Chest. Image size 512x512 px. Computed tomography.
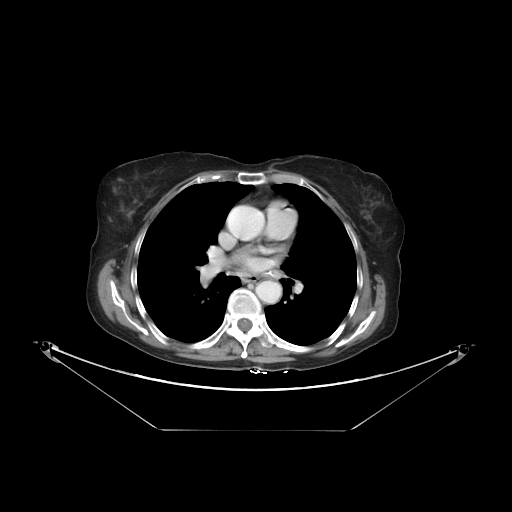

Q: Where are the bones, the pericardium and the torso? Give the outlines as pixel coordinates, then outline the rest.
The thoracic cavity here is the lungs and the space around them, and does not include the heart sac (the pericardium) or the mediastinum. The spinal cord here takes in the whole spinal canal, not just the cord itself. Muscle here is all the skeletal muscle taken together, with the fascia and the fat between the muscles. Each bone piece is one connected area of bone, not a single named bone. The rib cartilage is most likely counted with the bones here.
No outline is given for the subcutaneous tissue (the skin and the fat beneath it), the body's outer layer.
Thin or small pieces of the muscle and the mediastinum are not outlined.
A: {"bones":[{"outer":[[239,287],[255,295],[267,324],[275,334],[288,342],[312,346],[313,349],[301,353],[274,344],[265,347],[256,337],[253,337],[246,347],[247,356],[242,358],[242,345],[226,333],[209,347],[190,349],[188,344],[206,338],[219,327],[224,318],[229,295]],"hole":[[242,318],[245,318],[246,319],[247,319],[248,320],[249,320],[251,322],[251,326],[250,327],[250,328],[248,330],[247,330],[246,331],[243,331],[241,329],[240,329],[239,328],[239,327],[238,326],[238,321],[240,319],[241,319]]},[[240,171],[245,171],[246,172],[259,172],[261,171],[266,175],[270,175],[274,173],[283,173],[284,174],[289,174],[302,177],[324,197],[325,202],[309,188],[291,182],[275,183],[270,181],[255,185],[252,184],[242,184],[235,180],[235,177],[237,173]],[[110,280],[114,282],[119,295],[124,301],[127,314],[140,326],[146,329],[148,326],[136,305],[135,296],[137,294],[139,295],[147,313],[146,319],[152,321],[170,338],[168,345],[160,342],[150,332],[147,335],[144,334],[126,318],[122,309],[112,299]],[[373,310],[375,311],[375,314],[372,320],[368,326],[361,333],[358,334],[350,341],[338,347],[335,347],[334,343],[326,345],[325,339],[338,327],[342,321],[345,322],[345,327],[335,341],[337,342],[339,340],[343,338],[346,338],[352,334],[358,325]],[[208,174],[224,174],[226,176],[229,177],[230,180],[220,179],[214,181],[208,181],[207,182],[202,182],[201,183],[194,183],[187,186],[174,195],[176,191],[186,183],[193,180],[198,176],[202,176]],[[343,222],[347,222],[350,225],[350,226],[354,233],[354,235],[356,238],[356,241],[357,242],[357,248],[358,249],[357,252],[355,252],[355,251],[354,250],[354,248],[353,247],[352,242],[351,241],[351,240],[346,231],[346,229],[343,224]],[[145,228],[147,228],[147,230],[145,233],[145,235],[141,243],[141,246],[139,250],[139,254],[138,256],[136,256],[134,253],[134,251],[135,250],[135,245],[136,244],[136,242],[137,241],[137,239],[138,238],[138,236],[139,234]],[[134,266],[135,266],[137,268],[137,288],[136,289],[135,289],[134,290],[132,288],[132,286],[131,285],[131,281],[130,280],[130,273],[131,272],[131,269],[132,268],[132,267],[133,267]],[[357,265],[358,265],[360,267],[360,268],[361,269],[361,272],[362,273],[362,276],[363,277],[363,282],[362,283],[362,286],[361,287],[361,288],[360,289],[358,289],[357,288],[357,281],[356,280],[356,269],[357,268]],[[355,294],[357,294],[358,295],[358,300],[357,301],[357,305],[355,308],[355,310],[354,311],[353,314],[350,317],[349,317],[347,315],[347,313],[349,310],[349,308],[351,305],[351,303],[352,302],[352,300],[353,299],[353,298],[354,297]]],"pericardium":[[[256,194],[268,194],[283,198],[296,210],[298,216],[297,224],[295,228],[295,233],[291,240],[287,250],[287,253],[276,266],[272,269],[269,269],[267,271],[263,272],[249,271],[235,266],[219,244],[220,232],[224,228],[226,219],[230,210],[247,197]]],"torso":[[[179,150],[211,152],[245,163],[309,153],[345,160],[382,177],[405,225],[399,252],[401,282],[395,331],[334,365],[307,371],[263,372],[203,369],[168,363],[139,351],[102,329],[89,314],[84,297],[89,249],[96,234],[98,184],[106,172],[121,163]]],"muscle":[[[220,169],[239,170],[234,180],[224,173],[196,176],[175,191],[173,197],[149,226],[137,236],[133,251],[138,257],[137,265],[131,267],[129,280],[131,288],[138,291],[134,296],[134,301],[147,328],[131,318],[115,282],[112,279],[108,282],[111,299],[121,309],[125,318],[144,335],[152,334],[165,346],[170,344],[171,338],[187,343],[186,346],[190,350],[199,350],[213,346],[225,334],[234,338],[242,347],[240,359],[207,361],[178,356],[170,351],[152,346],[140,339],[132,330],[112,321],[105,314],[98,299],[97,277],[103,264],[111,258],[114,258],[118,265],[123,265],[122,261],[127,255],[128,246],[143,225],[146,213],[165,193],[180,181],[196,173]],[[269,167],[300,174],[324,188],[354,224],[353,229],[365,251],[370,277],[379,274],[385,282],[386,305],[381,323],[368,337],[336,354],[325,357],[299,355],[295,360],[271,363],[259,363],[244,359],[248,356],[247,347],[253,338],[256,338],[265,348],[274,345],[301,354],[311,352],[314,349],[311,345],[324,339],[326,346],[334,344],[334,347],[338,348],[361,334],[369,326],[376,314],[374,309],[371,310],[352,333],[336,341],[346,327],[344,318],[346,316],[350,318],[356,310],[359,300],[356,290],[360,290],[364,282],[362,269],[356,260],[356,253],[359,250],[357,238],[351,225],[347,221],[342,222],[326,203],[325,197],[302,176],[283,172],[266,174],[262,171]]],"mediastinum":[[[296,228],[296,234],[288,255],[280,265],[282,271],[279,278],[282,287],[281,299],[263,309],[256,295],[251,290],[240,286],[241,282],[238,276],[227,274],[220,269],[216,260],[218,234],[220,248],[235,267],[249,272],[263,273],[272,270],[286,256]],[[270,182],[274,183],[271,186],[271,188],[274,191],[280,193],[284,196],[293,205],[293,206],[283,197],[280,197],[274,194],[269,194],[268,193],[256,193],[247,196],[237,204],[234,205],[239,200],[248,194],[252,190],[253,186],[261,185]]],"thoracic_cavity":[[[220,180],[252,185],[251,190],[229,210],[217,234],[215,244],[215,260],[219,269],[227,275],[238,277],[240,285],[228,295],[223,318],[218,327],[206,337],[188,343],[165,334],[148,314],[138,290],[138,259],[148,228],[174,196],[191,185]],[[281,183],[291,183],[307,188],[325,203],[342,223],[355,253],[356,289],[346,315],[328,336],[310,345],[297,344],[279,336],[268,324],[264,311],[265,308],[277,304],[282,299],[281,265],[289,255],[297,234],[299,220],[294,205],[272,188],[274,184]]],"spinal_cord":[[[242,318],[245,318],[246,319],[247,319],[248,320],[249,320],[251,322],[251,326],[250,327],[250,328],[248,330],[247,330],[246,331],[243,331],[241,329],[240,329],[239,328],[239,327],[238,326],[238,321],[240,319],[241,319]]]}